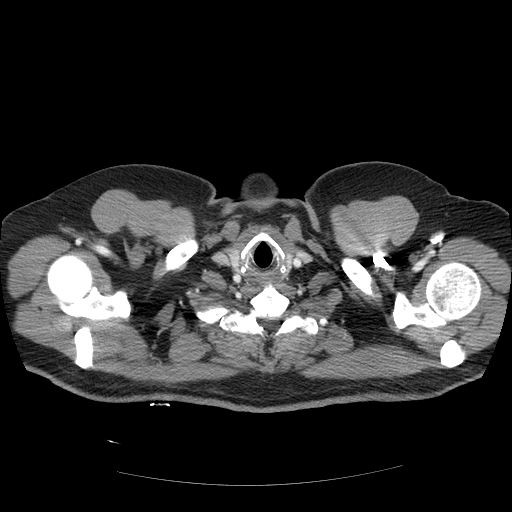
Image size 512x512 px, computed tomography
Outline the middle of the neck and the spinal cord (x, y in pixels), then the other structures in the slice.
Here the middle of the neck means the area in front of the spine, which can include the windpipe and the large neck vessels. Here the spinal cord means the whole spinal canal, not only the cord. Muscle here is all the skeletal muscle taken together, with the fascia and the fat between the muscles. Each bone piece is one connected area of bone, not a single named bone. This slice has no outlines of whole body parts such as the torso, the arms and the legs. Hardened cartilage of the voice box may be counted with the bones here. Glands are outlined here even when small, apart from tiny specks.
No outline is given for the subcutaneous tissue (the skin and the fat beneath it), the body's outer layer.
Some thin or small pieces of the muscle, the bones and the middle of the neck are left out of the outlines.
The middle of the neck is outlined by [[261,241],[273,247],[282,261],[286,254],[281,246],[286,246],[310,254],[312,262],[278,286],[269,282],[262,289],[254,289],[233,282],[211,260],[211,255],[229,245],[246,242],[240,251],[239,248],[228,254],[231,266],[238,272],[239,259],[243,260]], around a hole outlined by [[287,254],[290,254],[291,255],[293,255],[293,257],[291,260],[291,268],[290,269],[290,270],[287,273],[286,276],[284,276],[284,274],[282,272],[281,272],[280,271],[280,266],[282,264],[283,264],[284,265],[285,265],[286,264],[286,259],[287,258]]. The spinal cord is outlined by [[262,318],[267,318],[268,319],[269,319],[270,320],[279,320],[280,321],[280,323],[279,324],[279,326],[274,331],[272,331],[271,332],[268,332],[258,322],[258,319],[261,319]]. The bones appear in 8 outlined pieces: piece 1: [[452,261],[466,264],[477,273],[481,284],[481,295],[475,307],[461,318],[452,320],[443,326],[428,328],[421,325],[410,324],[403,329],[398,330],[392,317],[396,292],[403,291],[414,306],[424,303],[426,301],[424,293],[425,287],[430,275],[443,264]]; piece 2: [[65,254],[76,256],[88,265],[92,271],[93,284],[102,295],[112,294],[117,290],[126,292],[132,307],[128,319],[120,317],[109,320],[89,321],[86,318],[75,317],[65,313],[56,303],[52,302],[54,300],[54,295],[48,287],[46,272],[54,260]]; piece 3: [[269,283],[290,300],[290,310],[295,310],[303,316],[327,318],[328,322],[323,326],[319,325],[316,334],[308,334],[297,328],[264,340],[254,334],[225,331],[217,322],[206,323],[194,313],[209,305],[232,307],[238,303],[245,304]] with a hole at [[262,318],[267,318],[268,319],[269,319],[270,320],[279,320],[280,321],[280,323],[279,324],[279,326],[274,331],[272,331],[271,332],[268,332],[258,322],[258,319],[261,319]]; piece 4: [[84,324],[90,324],[92,327],[91,329],[91,332],[92,333],[93,345],[94,346],[94,351],[93,352],[93,363],[94,364],[94,367],[89,369],[83,369],[74,363],[74,358],[76,355],[76,349],[75,348],[75,343],[74,342],[74,335],[76,331]]; piece 5: [[345,256],[356,259],[366,269],[368,273],[371,276],[372,278],[372,284],[371,285],[372,286],[372,289],[374,292],[373,294],[373,297],[372,298],[367,295],[365,295],[351,281],[351,280],[346,275],[342,269],[340,265],[340,259],[342,257],[344,257]]; piece 6: [[191,237],[195,238],[199,243],[199,247],[197,251],[186,262],[185,265],[182,265],[176,269],[174,269],[173,270],[169,270],[166,272],[164,270],[164,263],[165,262],[165,258],[166,257],[166,255],[168,252],[180,242],[185,240],[186,238],[190,238]]; piece 7: [[449,339],[453,339],[455,340],[461,346],[462,349],[465,351],[465,353],[466,354],[466,358],[460,364],[458,364],[454,366],[452,368],[447,368],[443,366],[440,363],[440,358],[439,357],[439,350],[441,346],[445,341]]; piece 8: [[261,231],[266,232],[278,243],[285,254],[285,257],[283,260],[282,260],[281,256],[279,255],[278,251],[276,250],[273,246],[270,245],[264,240],[261,240],[255,243],[254,245],[250,248],[245,257],[243,259],[240,258],[240,252],[245,244],[253,236]]. The thyroid glands appear in 2 outlined pieces: piece 1: [[239,249],[239,258],[238,259],[238,271],[237,271],[232,266],[232,265],[231,264],[231,260],[230,259],[230,258],[229,257],[229,254],[231,252],[232,252],[233,251],[234,251],[235,250],[238,250]]; piece 2: [[287,254],[290,254],[291,255],[293,255],[293,257],[292,258],[292,259],[291,260],[291,268],[290,269],[290,270],[287,273],[287,274],[286,275],[286,276],[284,276],[284,274],[286,272],[286,259],[287,258]]. The muscle is outlined by [[111,188],[176,201],[191,208],[199,221],[240,213],[269,222],[294,214],[317,237],[329,234],[327,212],[333,205],[405,196],[428,221],[473,236],[509,262],[511,286],[503,325],[495,340],[467,359],[462,346],[449,338],[438,350],[439,363],[446,369],[391,379],[308,379],[297,373],[247,372],[220,380],[160,383],[84,370],[95,367],[90,323],[73,335],[73,363],[16,331],[7,262],[28,240],[71,228],[87,206]]; inner edges: [[261,231],[280,246],[312,256],[311,263],[275,288],[290,300],[290,310],[327,318],[316,334],[297,328],[264,340],[254,334],[225,331],[217,322],[209,324],[195,315],[196,310],[209,305],[245,304],[261,290],[231,281],[211,260],[212,254],[247,242]], then [[452,261],[466,264],[477,273],[481,284],[481,295],[475,307],[461,318],[452,320],[443,326],[428,328],[421,325],[410,324],[403,329],[398,330],[392,317],[396,292],[403,291],[414,306],[424,303],[426,301],[424,293],[425,287],[430,275],[443,264]], then [[65,254],[76,256],[88,265],[92,271],[93,284],[102,295],[112,294],[117,290],[126,292],[132,307],[128,319],[120,317],[109,320],[89,321],[86,318],[75,317],[65,313],[56,303],[52,302],[54,300],[54,295],[48,287],[46,272],[54,260]], then [[345,256],[356,259],[366,269],[368,273],[371,276],[372,278],[372,284],[371,285],[372,286],[372,289],[374,292],[373,294],[373,297],[372,298],[367,295],[365,295],[351,281],[351,280],[346,275],[342,269],[340,265],[340,259],[342,257],[344,257]], then [[191,237],[195,238],[199,243],[199,247],[197,251],[186,262],[185,265],[182,265],[176,269],[174,269],[173,270],[169,270],[166,272],[164,270],[164,263],[165,262],[165,258],[166,257],[166,255],[168,252],[180,242],[185,240],[186,238],[190,238]].